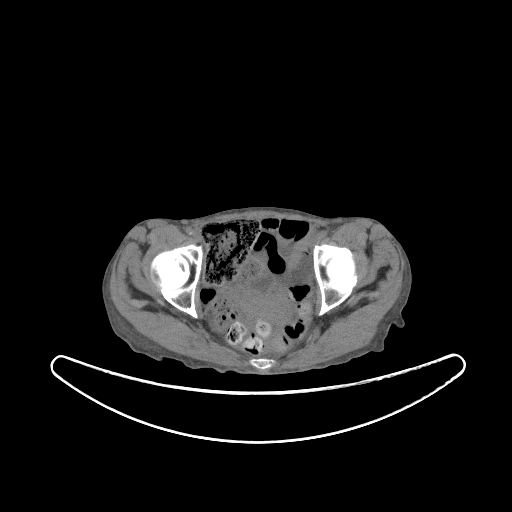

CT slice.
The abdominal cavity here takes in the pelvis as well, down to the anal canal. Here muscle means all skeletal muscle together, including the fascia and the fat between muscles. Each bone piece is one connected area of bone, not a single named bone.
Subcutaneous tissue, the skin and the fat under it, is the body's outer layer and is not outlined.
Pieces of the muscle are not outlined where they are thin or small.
Outlines:
torso: 254,205 289,207 326,217 367,216 377,219 395,236 408,256 412,285 402,310 404,327 390,327 382,351 300,373 244,375 192,369 170,358 158,361 133,351 113,332 101,282 108,261 132,226 147,218 192,218
muscle: 251,210 272,210 277,212 294,213 333,222 337,225 356,219 365,219 380,225 385,230 391,240 400,250 404,259 405,269 403,274 403,286 400,296 379,322 375,335 369,344 327,361 302,368 268,370 249,369 219,365 188,357 161,347 138,332 119,313 109,297 110,294 108,285 111,269 120,250 136,227 145,226 150,221 159,220 181,226 216,215 with holes at 265,216 303,219 321,227 314,243 349,248 357,282 340,304 320,316 317,285 315,320 302,345 285,353 261,355 276,362 259,369 248,361 253,356 226,343 204,323 199,290 205,277 207,244 200,229 209,222 and at 188,244 200,245 203,250 201,269 199,279 196,284 194,295 194,302 195,303 195,309 197,313 197,318 194,318 186,312 176,308 168,302 163,297 160,289 154,280 152,279 149,270 151,260 159,252
abdominal cavity: 265,216 303,219 321,227 315,236 315,244 311,253 312,269 317,285 315,290 315,320 302,345 289,349 285,353 254,357 226,343 223,339 212,333 204,323 199,290 205,277 207,244 200,229 209,222 255,219
bones 1: 188,244 200,245 203,250 201,269 199,279 196,284 194,295 194,302 195,303 195,309 197,313 197,318 194,318 186,312 176,308 168,302 163,297 160,289 154,280 152,279 149,270 151,260 159,252
bones 2: 323,243 336,245 341,247 345,246 351,250 357,267 357,282 353,287 351,293 340,304 330,309 320,316 318,315 318,313 321,305 321,294 315,278 315,274 313,269 313,254 312,253 314,245 316,244 319,245
bones 3: 260,357 263,357 264,358 267,358 268,359 273,359 274,360 275,360 275,361 276,362 270,368 266,368 265,369 259,369 258,368 256,368 255,367 252,366 249,363 249,362 248,361 251,358 259,358